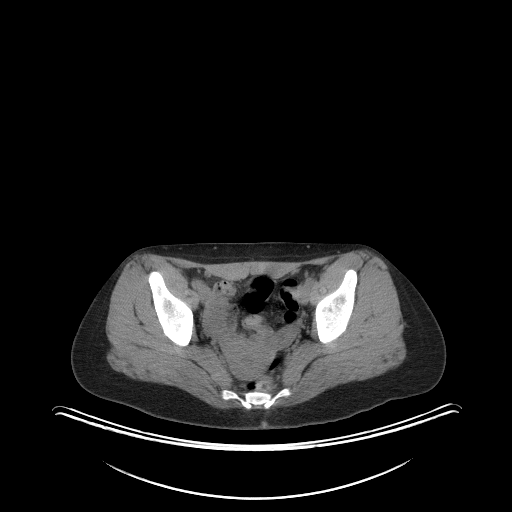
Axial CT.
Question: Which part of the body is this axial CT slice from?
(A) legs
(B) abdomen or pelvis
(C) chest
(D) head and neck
Answer: (B) abdomen or pelvis
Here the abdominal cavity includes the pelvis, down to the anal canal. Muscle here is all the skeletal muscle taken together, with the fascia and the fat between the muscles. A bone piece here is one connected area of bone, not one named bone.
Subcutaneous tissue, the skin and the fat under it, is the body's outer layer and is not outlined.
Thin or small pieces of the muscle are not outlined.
{"abdominal_cavity":[[[303,265],[324,265],[308,290],[313,315],[310,334],[285,358],[279,375],[281,387],[275,393],[257,390],[244,392],[237,389],[223,360],[207,345],[199,343],[194,312],[200,297],[190,287],[182,269],[198,268],[213,279],[239,280],[249,274],[276,279]]],"torso":[[[262,241],[351,242],[371,246],[382,253],[417,288],[443,333],[446,364],[441,379],[432,389],[419,395],[390,400],[333,422],[285,429],[232,430],[157,418],[129,406],[102,399],[80,386],[70,364],[74,335],[97,291],[130,253],[141,247],[157,244]]],"muscle":[[[357,249],[372,252],[386,264],[405,323],[402,336],[406,356],[383,374],[340,384],[304,402],[268,410],[278,398],[292,394],[288,387],[281,388],[280,375],[286,358],[311,334],[313,320],[323,344],[335,340],[348,326],[358,272],[346,269],[337,287],[315,304],[313,314],[309,290],[324,264],[303,264],[276,278],[253,273],[239,279],[213,278],[198,267],[182,268],[189,287],[199,297],[193,312],[171,292],[159,270],[147,274],[163,334],[185,347],[194,326],[198,343],[222,360],[233,385],[243,392],[241,395],[223,388],[221,398],[237,400],[249,410],[214,407],[179,388],[133,379],[114,370],[106,359],[110,296],[123,268],[137,254],[228,263],[302,261]]],"bones":[[[151,271],[159,271],[161,273],[164,282],[170,292],[176,297],[184,301],[190,307],[193,313],[193,323],[194,325],[192,330],[192,334],[189,343],[185,346],[180,346],[174,343],[170,340],[163,332],[154,308],[152,293],[148,282],[148,274]],[[351,268],[357,272],[357,283],[355,288],[355,296],[354,297],[353,308],[347,326],[345,330],[335,339],[329,342],[323,343],[319,340],[316,329],[316,323],[314,318],[316,304],[324,296],[332,292],[338,287],[342,281],[346,270]],[[283,388],[288,388],[291,391],[291,394],[288,396],[278,397],[267,409],[265,409],[261,404],[254,404],[250,409],[248,409],[244,407],[237,399],[223,399],[221,395],[221,391],[223,389],[232,390],[241,396],[243,393],[248,391],[257,391],[273,395]]]}